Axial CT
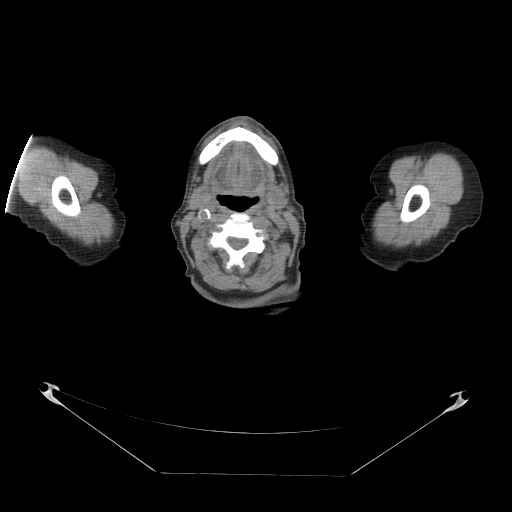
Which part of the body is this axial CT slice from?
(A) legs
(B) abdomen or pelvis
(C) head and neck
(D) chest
(C) head and neck
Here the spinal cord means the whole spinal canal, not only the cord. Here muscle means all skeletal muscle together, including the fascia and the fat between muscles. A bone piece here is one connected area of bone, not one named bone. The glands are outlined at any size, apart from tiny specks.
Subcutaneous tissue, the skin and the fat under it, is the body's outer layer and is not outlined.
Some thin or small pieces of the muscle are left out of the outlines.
{"right_arm":[[[38,133],[59,136],[113,166],[117,187],[115,197],[125,213],[127,223],[123,245],[109,259],[95,265],[79,267],[55,246],[48,244],[41,233],[26,228],[17,217],[6,212],[14,189],[14,178],[16,181],[16,169],[21,155],[29,139]]],"bones":[{"outer":[[234,211],[245,212],[250,217],[253,226],[255,228],[264,228],[268,237],[264,241],[265,247],[261,253],[248,252],[242,258],[243,267],[233,265],[228,269],[226,267],[229,259],[227,252],[223,248],[214,248],[208,245],[208,240],[215,225],[224,222]],"hole":[[228,237],[233,237],[234,238],[237,238],[238,239],[246,239],[247,240],[247,243],[243,247],[242,247],[241,248],[240,248],[239,249],[235,249],[234,248],[233,248],[228,243],[228,242],[227,241],[227,238]]},[[237,126],[251,130],[265,140],[276,152],[278,156],[277,164],[273,165],[265,161],[260,156],[253,145],[249,142],[247,141],[236,141],[235,140],[228,142],[222,147],[214,157],[204,164],[200,164],[198,162],[198,156],[203,148],[218,134],[227,129]],[[58,175],[64,175],[66,176],[69,179],[75,191],[75,193],[77,196],[77,198],[79,202],[79,205],[80,206],[80,212],[79,214],[76,216],[68,216],[67,215],[64,215],[62,213],[58,211],[52,203],[52,200],[51,199],[51,184],[54,178]],[[414,184],[422,184],[427,187],[429,191],[430,204],[429,205],[429,207],[426,210],[426,211],[419,217],[418,217],[413,221],[411,221],[410,222],[403,222],[400,220],[400,212],[401,211],[401,208],[402,207],[403,200],[409,188],[412,185]]],"submandibular_glands":[[[198,186],[203,186],[205,188],[205,190],[206,191],[206,195],[207,196],[206,197],[206,201],[205,203],[202,206],[200,207],[198,207],[197,208],[193,208],[190,205],[190,196],[194,188]],[[275,186],[279,186],[281,188],[282,188],[285,192],[285,199],[286,200],[286,201],[285,202],[285,203],[281,206],[277,206],[276,205],[274,205],[271,201],[271,196],[272,195],[272,192],[273,191],[273,189]]],"left_arm":[[[429,139],[449,141],[469,154],[478,170],[484,192],[481,217],[474,226],[464,229],[457,239],[435,259],[425,263],[409,263],[398,273],[383,270],[362,256],[357,248],[359,232],[362,229],[360,213],[364,205],[375,195],[369,181],[370,172],[389,150]]],"head_and_neck":[{"outer":[[235,115],[253,117],[279,140],[291,165],[295,198],[304,208],[306,234],[305,245],[300,252],[303,295],[288,310],[276,315],[257,315],[253,309],[223,306],[201,297],[185,276],[186,266],[170,227],[170,220],[183,198],[186,163],[194,146],[209,128]],"hole":[[218,196],[235,196],[236,197],[246,197],[247,198],[257,198],[257,201],[256,201],[255,203],[250,205],[248,207],[244,209],[243,211],[238,211],[237,210],[232,209],[228,207],[226,205],[224,205],[222,204],[218,199]]}],"muscle":[{"outer":[[239,119],[246,120],[259,127],[276,144],[287,176],[289,184],[290,200],[297,209],[299,214],[300,234],[291,269],[291,274],[287,281],[288,286],[284,289],[261,297],[259,293],[241,292],[238,290],[232,290],[227,292],[219,291],[209,287],[202,282],[194,269],[192,268],[183,249],[178,227],[176,225],[176,220],[182,216],[182,211],[187,204],[190,192],[190,182],[193,166],[201,144],[212,132],[220,126]],"holes":[[[218,196],[257,198],[255,203],[243,211],[250,217],[255,228],[265,229],[268,237],[264,241],[265,247],[261,253],[248,252],[242,258],[243,267],[233,265],[228,269],[227,252],[223,248],[208,245],[215,225],[224,222],[235,210],[222,204]],[[237,126],[251,130],[265,140],[276,152],[278,156],[277,164],[273,165],[265,161],[260,156],[253,145],[249,142],[247,141],[236,141],[235,140],[228,142],[222,147],[214,157],[204,164],[200,164],[198,162],[198,156],[203,148],[218,134],[227,129]],[[198,186],[203,186],[205,188],[205,190],[206,191],[206,195],[207,196],[206,197],[206,201],[205,203],[202,206],[200,207],[198,207],[197,208],[193,208],[190,205],[190,196],[194,188]],[[275,186],[279,186],[281,188],[282,188],[285,192],[285,199],[286,200],[286,201],[285,202],[285,203],[281,206],[277,206],[276,205],[274,205],[271,201],[271,196],[272,195],[272,192],[273,191],[273,189]]]},{"outer":[[437,151],[453,154],[461,164],[464,175],[463,196],[460,201],[453,206],[447,227],[436,237],[419,246],[408,245],[394,249],[374,242],[370,230],[370,223],[375,210],[387,197],[388,187],[390,185],[388,171],[391,163],[395,159],[406,155],[430,154]],"hole":[[414,184],[422,184],[427,187],[429,191],[430,204],[429,205],[429,207],[426,210],[426,211],[419,217],[418,217],[413,221],[411,221],[410,222],[403,222],[400,220],[400,212],[401,211],[401,208],[402,207],[403,200],[409,188],[412,185]]},{"outer":[[38,148],[52,148],[57,153],[67,154],[98,172],[98,189],[101,193],[101,201],[111,211],[116,221],[117,227],[111,241],[91,247],[85,246],[62,233],[35,207],[30,206],[21,198],[14,183],[14,178],[14,182],[16,182],[17,165],[24,153]],"hole":[[58,175],[64,175],[66,176],[69,179],[75,191],[75,193],[77,196],[77,198],[79,202],[79,205],[80,206],[80,212],[79,214],[76,216],[68,216],[67,215],[64,215],[62,213],[58,211],[52,203],[52,200],[51,199],[51,184],[54,178]]}],"spinal_cord":[[[228,237],[233,237],[234,238],[237,238],[238,239],[246,239],[247,240],[247,243],[243,247],[242,247],[241,248],[240,248],[239,249],[235,249],[234,248],[233,248],[228,243],[228,242],[227,241],[227,238]]]}